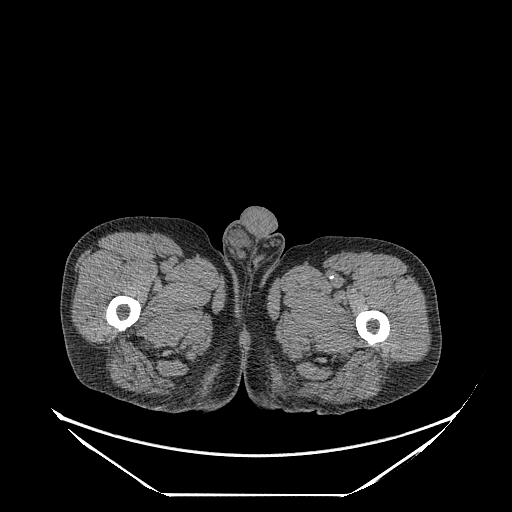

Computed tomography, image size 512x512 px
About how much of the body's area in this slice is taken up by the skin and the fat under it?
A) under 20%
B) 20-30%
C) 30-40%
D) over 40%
Answer: C) 30-40%
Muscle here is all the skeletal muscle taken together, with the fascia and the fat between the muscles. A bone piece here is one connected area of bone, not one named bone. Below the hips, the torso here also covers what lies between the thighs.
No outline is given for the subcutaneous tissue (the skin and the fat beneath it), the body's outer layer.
Outlines (x, y in pixels):
left leg: [[327,235],[390,241],[408,249],[425,264],[434,282],[441,325],[442,347],[438,365],[418,390],[376,408],[324,415],[314,412],[287,413],[280,409],[263,410],[251,401],[242,379],[243,354],[251,347],[251,334],[244,323],[244,301],[275,267],[285,250]]
torso 1: [[251,205],[259,205],[266,207],[275,215],[278,223],[277,230],[284,236],[285,246],[284,250],[277,260],[274,267],[254,291],[244,300],[243,292],[231,268],[229,260],[225,257],[221,251],[222,234],[226,226],[230,222],[237,219],[241,212],[246,207]]
torso 2: [[244,324],[245,325],[245,326],[247,328],[247,329],[249,331],[249,333],[250,334],[250,347],[245,352],[244,352],[243,353],[243,351],[242,350],[242,349],[240,347],[240,346],[239,345],[239,330],[240,329],[240,328],[241,327],[241,326],[242,326]]
bones 1: [[120,294],[128,295],[129,296],[133,296],[139,301],[140,305],[141,306],[140,314],[137,320],[133,324],[132,324],[123,331],[119,331],[115,327],[110,325],[107,322],[106,318],[105,317],[105,311],[106,310],[106,308],[109,301],[116,295],[119,295]]
bones 2: [[365,309],[376,309],[383,312],[387,316],[389,320],[389,323],[390,324],[390,329],[389,330],[389,333],[384,341],[382,341],[381,342],[377,342],[374,345],[369,345],[368,343],[359,335],[355,325],[355,318],[357,314],[360,311]]
right leg: [[125,216],[165,216],[192,221],[207,233],[213,245],[228,260],[243,296],[244,320],[238,330],[238,345],[242,351],[241,379],[232,399],[215,411],[166,413],[146,409],[88,388],[73,372],[65,349],[59,313],[65,262],[73,245],[84,233],[98,224]]
muscle 1: [[348,248],[387,253],[398,257],[411,268],[424,290],[429,314],[431,347],[427,355],[421,361],[395,368],[381,391],[369,399],[347,403],[330,403],[293,396],[289,388],[290,380],[282,363],[267,312],[269,289],[274,278],[292,264],[309,259],[326,257]]; inner edge: [[365,309],[376,309],[383,312],[387,316],[389,320],[389,323],[390,324],[390,329],[389,330],[389,333],[384,341],[382,341],[381,342],[377,342],[374,345],[369,345],[368,343],[359,335],[355,325],[355,318],[357,314],[360,311]]
muscle 2: [[142,230],[150,230],[168,235],[205,256],[223,273],[226,287],[224,306],[212,338],[211,346],[191,380],[180,392],[170,397],[136,394],[112,384],[102,371],[103,369],[99,355],[77,333],[70,317],[74,266],[82,251],[95,239],[108,232]]; inner edge: [[120,294],[128,295],[129,296],[133,296],[139,301],[140,305],[141,306],[140,314],[137,320],[133,324],[132,324],[123,331],[119,331],[115,327],[110,325],[107,322],[106,318],[105,317],[105,311],[106,310],[106,308],[109,301],[116,295],[119,295]]